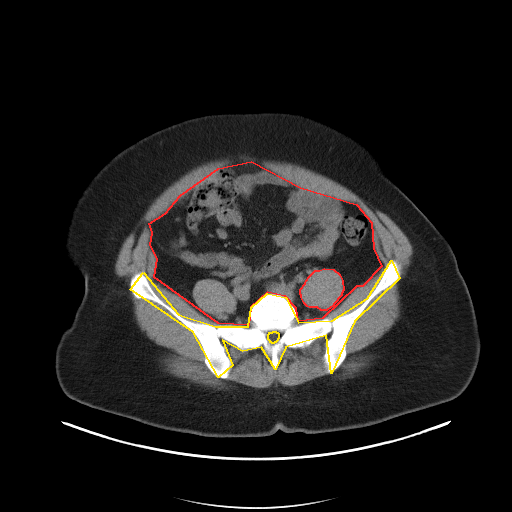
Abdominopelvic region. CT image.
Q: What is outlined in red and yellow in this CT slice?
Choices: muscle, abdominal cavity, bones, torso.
A: red: abdominal cavity; yellow: bones.
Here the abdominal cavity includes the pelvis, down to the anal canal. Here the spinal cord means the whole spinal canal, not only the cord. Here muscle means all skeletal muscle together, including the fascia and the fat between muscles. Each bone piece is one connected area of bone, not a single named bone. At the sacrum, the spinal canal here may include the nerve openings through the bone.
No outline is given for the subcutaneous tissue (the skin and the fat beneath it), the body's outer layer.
Outlines:
abdominal cavity: [[251,161],[300,187],[356,204],[371,222],[373,248],[381,266],[362,286],[356,286],[322,318],[298,321],[296,308],[285,296],[267,292],[250,307],[248,325],[218,323],[154,277],[157,258],[150,245],[152,232],[149,223],[165,213],[180,195],[218,168]], around a hole outlined by [[324,268],[333,269],[339,274],[342,280],[343,290],[341,293],[341,295],[333,304],[333,305],[326,310],[321,310],[317,307],[309,307],[307,306],[304,303],[301,297],[301,295],[300,294],[300,289],[305,283],[306,280],[309,276],[315,270],[319,270]]
bones: [[391,260],[399,278],[354,321],[331,373],[326,335],[285,347],[275,369],[261,347],[242,351],[222,340],[232,365],[218,377],[193,332],[130,289],[143,272],[178,314],[215,326],[248,326],[251,307],[267,293],[285,297],[298,322],[332,320],[367,298]]; inner edge: [[273,331],[275,331],[276,332],[277,332],[278,333],[278,338],[277,339],[277,340],[275,342],[274,342],[273,343],[272,343],[271,342],[270,342],[270,341],[268,339],[268,334],[269,333],[269,332],[272,332]]
muscle 1: [[242,157],[253,158],[258,161],[262,160],[281,161],[282,162],[283,161],[284,162],[289,162],[297,164],[336,181],[338,183],[345,186],[363,199],[370,207],[378,209],[383,213],[386,214],[402,230],[412,245],[413,253],[411,257],[410,264],[408,267],[406,275],[400,281],[398,286],[398,290],[400,295],[400,316],[388,331],[379,339],[363,350],[364,352],[369,352],[374,354],[376,356],[367,367],[364,368],[354,376],[340,379],[339,378],[333,378],[330,375],[326,375],[294,386],[284,386],[279,384],[278,385],[272,385],[266,388],[256,388],[234,382],[232,384],[233,385],[232,387],[226,389],[216,389],[212,387],[207,387],[203,385],[199,385],[190,382],[184,378],[176,377],[166,372],[163,369],[163,367],[159,361],[160,355],[162,353],[162,348],[156,345],[153,341],[149,339],[139,328],[134,317],[133,303],[129,295],[127,284],[124,278],[118,276],[115,272],[116,259],[124,240],[134,229],[138,221],[153,200],[169,185],[186,172],[196,166],[209,161],[223,159],[224,158],[238,160],[239,158]], around a hole outlined by [[251,161],[300,187],[356,204],[371,222],[373,248],[382,264],[326,317],[332,320],[354,310],[375,288],[387,263],[399,265],[399,278],[352,324],[346,356],[331,373],[323,360],[326,335],[305,347],[285,347],[275,369],[261,347],[242,351],[222,340],[232,365],[227,378],[218,377],[205,364],[193,332],[160,304],[137,298],[130,289],[132,276],[143,272],[156,295],[182,317],[218,324],[156,281],[149,223],[218,168]]
muscle 2: [[324,268],[333,269],[339,274],[342,280],[343,290],[341,293],[341,295],[333,304],[333,305],[326,310],[321,310],[317,307],[309,307],[307,306],[304,303],[301,297],[301,295],[300,294],[300,289],[305,283],[306,280],[309,276],[315,270],[319,270]]
muscle 3: [[203,279],[214,279],[215,280],[217,280],[221,282],[227,288],[228,291],[233,296],[235,300],[235,309],[232,312],[227,313],[225,317],[219,318],[212,314],[210,314],[206,312],[199,307],[193,298],[192,291],[196,282],[199,280],[202,280]]
torso: [[263,111],[311,117],[363,143],[447,239],[471,296],[481,339],[469,385],[452,400],[368,426],[321,433],[278,430],[258,437],[163,429],[66,396],[56,379],[54,355],[84,293],[81,274],[64,254],[68,221],[82,191],[117,153],[152,132],[205,114]]
spinal cord: [[273,331],[275,331],[276,332],[277,332],[278,333],[278,338],[277,339],[277,340],[275,342],[274,342],[273,343],[272,343],[271,342],[270,342],[270,341],[268,339],[268,334],[269,333],[269,332],[272,332]]